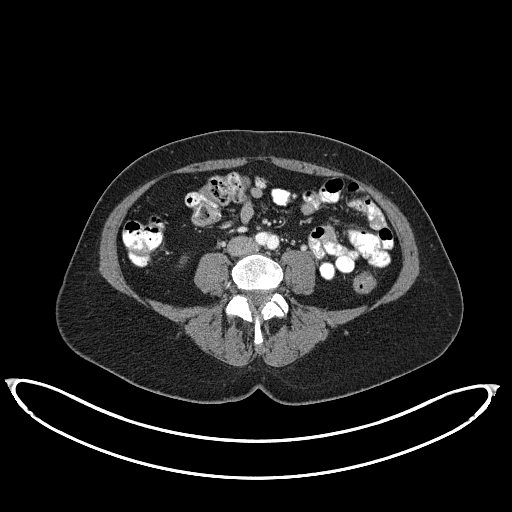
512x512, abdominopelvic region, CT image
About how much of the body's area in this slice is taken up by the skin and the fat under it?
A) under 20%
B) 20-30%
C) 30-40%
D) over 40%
D) over 40%
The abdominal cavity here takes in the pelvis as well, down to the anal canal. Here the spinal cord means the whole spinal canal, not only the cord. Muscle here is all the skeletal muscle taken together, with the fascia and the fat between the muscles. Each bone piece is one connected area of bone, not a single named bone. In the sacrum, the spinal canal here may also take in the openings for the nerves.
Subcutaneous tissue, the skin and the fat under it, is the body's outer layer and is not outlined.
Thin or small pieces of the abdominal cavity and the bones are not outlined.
{"torso":[[[287,405],[327,401],[380,385],[437,359],[452,343],[463,317],[463,297],[428,213],[407,182],[388,164],[360,148],[319,134],[214,130],[146,152],[109,183],[83,227],[55,301],[55,320],[62,339],[82,358],[154,393],[195,403],[224,403],[260,389]]],"muscle":[{"outer":[[277,368],[278,367],[282,367],[286,365],[289,365],[294,361],[309,353],[318,343],[325,340],[330,331],[338,325],[343,324],[362,314],[367,313],[381,305],[386,304],[397,299],[403,295],[411,287],[419,274],[418,250],[414,238],[414,235],[409,224],[409,222],[398,207],[385,195],[376,189],[372,185],[367,184],[360,180],[358,180],[349,174],[344,173],[338,170],[324,167],[321,165],[317,165],[310,162],[301,161],[296,159],[276,157],[272,155],[266,155],[265,156],[259,155],[258,156],[249,156],[248,157],[245,157],[244,156],[243,157],[237,157],[236,158],[212,159],[211,160],[206,160],[200,162],[194,162],[177,169],[174,169],[162,173],[139,186],[124,197],[111,211],[106,219],[102,229],[101,238],[100,239],[100,245],[99,246],[99,266],[98,267],[98,271],[102,277],[111,286],[118,291],[125,294],[127,296],[133,298],[145,307],[152,309],[157,313],[175,322],[177,324],[180,332],[181,331],[189,336],[207,354],[211,355],[213,357],[233,366],[244,366],[255,359],[261,359],[267,365]],"hole":[[255,345],[263,341],[261,321],[288,312],[288,303],[275,290],[283,278],[278,260],[288,248],[307,252],[315,264],[313,292],[298,297],[306,304],[328,309],[370,305],[396,279],[401,253],[395,231],[383,209],[357,182],[254,160],[233,168],[170,175],[128,210],[118,232],[118,253],[133,289],[143,297],[174,304],[207,303],[210,299],[195,287],[193,274],[204,253],[221,251],[231,262],[237,288],[225,313],[254,324]]}],"abdominal_cavity":[[[328,309],[370,305],[401,266],[385,212],[353,180],[261,160],[173,174],[152,185],[120,226],[120,265],[143,297],[204,304],[209,297],[192,281],[204,253],[223,252],[230,270],[251,253],[278,262],[290,248],[307,252],[315,264],[314,290],[298,298]]],"bones":[{"outer":[[255,345],[261,344],[263,341],[261,321],[274,316],[283,317],[287,314],[289,308],[284,297],[275,290],[283,278],[283,270],[277,262],[262,254],[245,256],[232,267],[230,274],[237,291],[231,296],[224,309],[226,315],[238,316],[254,324],[253,342]],"hole":[[251,307],[252,307],[253,306],[254,306],[255,307],[259,307],[260,306],[261,306],[264,303],[264,302],[265,301],[265,295],[262,291],[261,291],[260,290],[253,290],[252,291],[248,291],[247,292],[246,292],[246,296],[248,298],[248,302]]}],"spinal_cord":[[[251,307],[252,307],[253,306],[254,306],[255,307],[259,307],[260,306],[261,306],[264,303],[264,302],[265,301],[265,295],[262,291],[261,291],[260,290],[253,290],[252,291],[248,291],[247,292],[246,292],[246,296],[248,298],[248,302]]]}